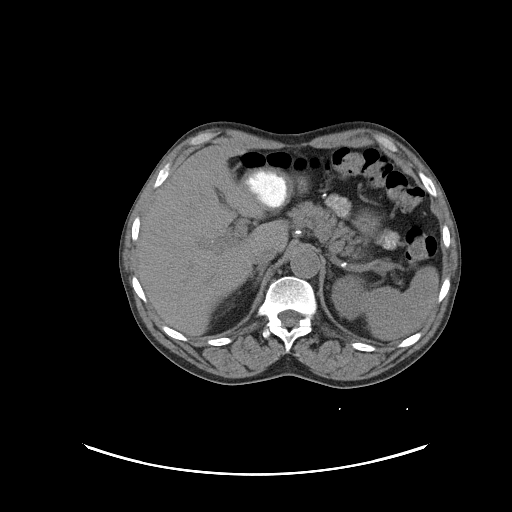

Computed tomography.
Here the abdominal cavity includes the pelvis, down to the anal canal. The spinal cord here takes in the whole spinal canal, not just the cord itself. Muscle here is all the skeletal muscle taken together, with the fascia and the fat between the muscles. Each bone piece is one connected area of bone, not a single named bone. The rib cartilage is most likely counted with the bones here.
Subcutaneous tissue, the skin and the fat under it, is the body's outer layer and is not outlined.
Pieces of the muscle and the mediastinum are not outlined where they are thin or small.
{"abdominal_cavity":[[[214,141],[248,149],[377,146],[398,159],[429,194],[441,233],[442,281],[423,327],[397,344],[387,345],[367,342],[330,323],[316,298],[321,261],[306,246],[294,246],[275,267],[255,314],[239,326],[196,338],[164,324],[137,275],[141,220],[178,163]]],"bones":[{"outer":[[282,276],[294,276],[308,282],[313,289],[317,303],[317,310],[311,319],[312,330],[308,334],[299,336],[287,353],[285,352],[283,341],[278,336],[272,333],[266,338],[263,336],[262,331],[268,319],[264,315],[256,315],[258,307],[265,298],[269,285]],"hole":[[285,310],[293,310],[299,313],[301,315],[301,317],[299,319],[297,323],[297,325],[295,326],[293,326],[292,327],[287,327],[283,325],[282,323],[282,321],[279,317],[279,314],[281,312]]},[[168,161],[171,161],[171,167],[170,168],[170,170],[169,171],[169,173],[168,174],[167,177],[163,181],[163,182],[159,186],[158,186],[156,188],[155,188],[153,186],[153,185],[155,182],[155,180],[157,177],[157,175],[158,174],[160,169],[161,169]],[[419,171],[421,171],[424,174],[425,174],[431,179],[431,180],[433,182],[433,184],[436,190],[436,196],[432,196],[430,195],[430,194],[427,191],[427,190],[425,188],[424,185],[422,183],[418,175],[418,172]],[[206,132],[211,132],[212,133],[216,133],[216,135],[215,135],[211,139],[210,139],[208,141],[206,141],[201,144],[198,144],[197,145],[191,145],[189,143],[189,141],[190,140],[190,139],[192,137],[193,137],[196,135],[198,135],[201,133],[205,133]],[[375,134],[377,134],[378,135],[383,136],[384,137],[387,138],[392,142],[393,142],[393,143],[397,147],[398,150],[396,152],[393,152],[392,151],[390,151],[388,149],[387,149],[385,147],[384,147],[381,144],[378,143],[374,138],[374,135]],[[162,325],[165,325],[166,326],[167,326],[168,327],[183,334],[186,337],[187,337],[187,338],[188,339],[186,341],[184,341],[183,340],[176,339],[175,338],[173,338],[172,337],[169,336],[167,334],[166,334],[162,330],[162,329],[161,328],[161,326]],[[134,275],[135,275],[137,277],[137,278],[139,281],[139,283],[141,285],[141,287],[142,288],[142,289],[145,294],[145,296],[147,299],[147,302],[144,302],[138,296],[138,295],[136,293],[136,292],[134,290],[134,289],[132,286],[132,277]],[[420,331],[422,333],[421,336],[417,341],[416,341],[411,345],[410,345],[409,346],[404,346],[403,347],[398,347],[397,346],[397,345],[402,340],[403,340],[404,339],[405,339],[407,337],[408,337],[409,336],[410,336],[417,332],[419,332]],[[445,277],[449,277],[449,279],[450,280],[450,285],[449,286],[449,288],[448,289],[448,291],[446,295],[440,302],[438,302],[437,301],[437,299],[438,298],[438,295],[440,291],[440,288],[441,287],[441,285],[442,284],[443,279]],[[353,342],[363,342],[364,343],[366,343],[367,344],[370,344],[371,345],[372,345],[373,346],[375,346],[376,347],[376,349],[375,350],[374,350],[373,351],[362,351],[361,350],[358,350],[357,349],[355,349],[351,345],[351,343],[352,343]],[[219,337],[229,337],[230,338],[231,338],[231,339],[232,340],[231,341],[231,342],[230,342],[229,343],[228,343],[227,344],[225,344],[224,345],[211,345],[210,344],[208,344],[207,343],[207,340],[208,339],[214,339],[215,338],[218,338]],[[137,216],[138,216],[140,218],[140,223],[139,224],[139,231],[138,232],[137,239],[136,240],[136,241],[134,241],[133,240],[132,240],[132,238],[131,237],[131,229],[132,228],[132,224],[133,223],[133,221],[134,220],[135,217],[136,217]],[[444,224],[445,224],[447,226],[447,227],[448,228],[448,229],[449,230],[449,246],[448,247],[445,247],[445,246],[443,244],[443,241],[442,240],[442,227],[443,226],[443,225]]],"torso":[[[217,120],[278,133],[348,120],[371,121],[397,132],[419,152],[444,189],[461,243],[461,275],[450,317],[421,357],[396,375],[361,387],[330,387],[291,375],[225,385],[180,368],[150,343],[132,315],[120,277],[118,246],[123,223],[166,150],[189,129]]],"spinal_cord":[[[285,310],[293,310],[299,313],[301,315],[301,317],[299,319],[297,323],[297,325],[295,326],[293,326],[292,327],[287,327],[283,325],[282,323],[282,321],[279,317],[279,314],[281,312]]],"muscle":[{"outer":[[214,127],[231,128],[232,129],[241,130],[244,132],[247,132],[256,136],[259,136],[266,139],[279,141],[283,143],[301,143],[309,141],[318,136],[326,134],[341,132],[345,130],[349,130],[355,128],[369,128],[385,133],[387,135],[392,137],[405,146],[414,154],[428,170],[438,185],[442,193],[449,212],[450,218],[453,224],[454,233],[455,234],[455,242],[456,243],[456,252],[457,253],[457,265],[455,272],[455,278],[448,305],[438,327],[434,332],[433,335],[426,343],[419,349],[414,351],[395,365],[374,376],[364,379],[336,380],[335,379],[323,377],[312,372],[306,365],[300,362],[295,357],[290,355],[284,355],[282,356],[279,359],[269,365],[266,369],[255,375],[247,376],[246,377],[239,377],[238,378],[229,378],[228,377],[220,376],[199,368],[181,356],[172,352],[168,348],[161,344],[152,335],[145,325],[138,312],[127,281],[126,274],[123,266],[124,265],[123,264],[123,250],[124,249],[124,241],[125,240],[127,225],[131,214],[142,192],[158,167],[165,158],[186,137],[201,130],[213,128]],"holes":[[[206,132],[216,133],[206,143],[248,149],[383,148],[375,134],[393,142],[398,150],[386,150],[419,180],[421,171],[433,182],[430,207],[440,232],[444,224],[449,230],[441,250],[442,278],[450,285],[419,339],[403,347],[367,342],[318,308],[312,330],[287,353],[278,336],[263,336],[264,315],[186,341],[166,334],[132,286],[131,229],[159,188],[153,185],[160,169],[171,161],[170,173],[202,145],[190,139]],[[353,342],[363,342],[364,343],[366,343],[367,344],[370,344],[371,345],[372,345],[373,346],[375,346],[376,347],[376,349],[375,350],[374,350],[373,351],[362,351],[361,350],[358,350],[357,349],[355,349],[351,345],[351,343],[352,343]],[[219,337],[229,337],[230,338],[231,338],[231,339],[232,340],[231,341],[231,342],[230,342],[229,343],[228,343],[227,344],[225,344],[224,345],[211,345],[210,344],[208,344],[207,343],[207,340],[208,339],[214,339],[215,338],[218,338]]]}],"mediastinum":[[[294,247],[306,247],[307,249],[311,249],[317,253],[317,255],[320,261],[320,273],[318,276],[318,288],[315,294],[315,292],[312,285],[308,281],[305,279],[303,279],[294,275],[282,275],[274,279],[272,281],[276,267],[285,258],[285,257],[294,248]]]}